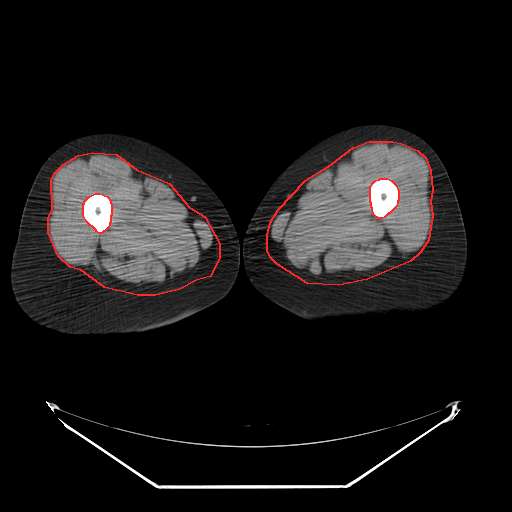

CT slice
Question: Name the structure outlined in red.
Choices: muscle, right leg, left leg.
Answer: red: muscle.
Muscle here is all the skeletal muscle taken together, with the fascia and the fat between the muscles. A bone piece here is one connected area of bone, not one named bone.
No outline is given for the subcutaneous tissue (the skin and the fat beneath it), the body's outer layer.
Outlines (x, y in pixels):
muscle 1: (369, 141) (392, 141) (401, 143) (417, 150) (425, 157) (430, 170) (432, 190) (430, 201) (432, 215) (428, 240) (420, 252) (410, 261) (367, 279) (338, 285) (307, 283) (277, 264) (270, 257) (267, 250) (267, 235) (270, 222) (278, 209) (305, 180) (328, 166) (353, 147) with a hole at (380, 178) (387, 178) (391, 180) (395, 184) (398, 190) (398, 200) (397, 201) (397, 203) (395, 207) (389, 213) (388, 213) (384, 217) (382, 218) (378, 218) (373, 214) (372, 208) (371, 207) (371, 203) (370, 202) (370, 187) (372, 183) (375, 180) (379, 179)
muscle 2: (92, 152) (116, 154) (136, 169) (169, 183) (189, 207) (204, 216) (219, 243) (219, 257) (210, 276) (196, 280) (179, 289) (155, 295) (137, 295) (104, 287) (81, 270) (70, 267) (58, 256) (48, 232) (48, 218) (52, 209) (51, 180) (54, 173) (63, 164) (78, 155), around a hole outlined by (95, 193) (99, 193) (107, 196) (110, 200) (111, 207) (112, 208) (111, 209) (111, 215) (110, 216) (110, 222) (109, 223) (109, 225) (108, 227) (101, 233) (99, 233) (96, 231) (96, 230) (86, 221) (83, 215) (83, 204) (84, 203) (84, 201) (89, 196)
right leg: (98, 132) (115, 132) (131, 135) (161, 147) (190, 167) (214, 191) (226, 208) (235, 226) (240, 244) (238, 274) (232, 288) (224, 297) (177, 323) (140, 333) (64, 334) (37, 324) (21, 310) (11, 289) (10, 266) (22, 210) (32, 182) (43, 162) (54, 150) (74, 138)
bones 1: (380, 178) (387, 178) (391, 180) (395, 184) (398, 190) (398, 200) (397, 201) (397, 203) (395, 207) (389, 213) (388, 213) (384, 217) (382, 218) (378, 218) (373, 214) (372, 208) (371, 207) (371, 203) (370, 202) (370, 187) (372, 183) (375, 180) (379, 179)
bones 2: (95, 193) (99, 193) (107, 196) (110, 200) (111, 207) (112, 208) (111, 209) (111, 215) (110, 216) (110, 222) (109, 223) (109, 225) (108, 227) (101, 233) (99, 233) (96, 231) (96, 230) (86, 221) (83, 215) (83, 204) (84, 203) (84, 201) (89, 196)
left leg: (370, 123) (394, 125) (415, 133) (434, 149) (444, 164) (458, 199) (466, 232) (467, 263) (464, 282) (453, 299) (422, 313) (381, 313) (361, 317) (322, 320) (302, 318) (262, 295) (250, 283) (241, 257) (245, 230) (255, 209) (272, 183) (294, 159) (331, 134) (351, 126)